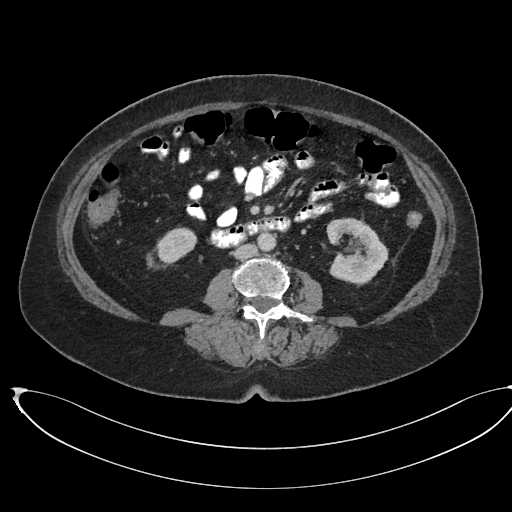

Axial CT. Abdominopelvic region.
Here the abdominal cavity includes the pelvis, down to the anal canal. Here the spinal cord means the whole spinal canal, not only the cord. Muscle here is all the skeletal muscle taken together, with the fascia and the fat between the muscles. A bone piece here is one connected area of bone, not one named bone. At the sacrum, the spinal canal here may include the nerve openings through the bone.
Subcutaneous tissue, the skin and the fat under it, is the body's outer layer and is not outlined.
{"bones":[{"outer":[[261,257],[277,259],[290,267],[291,282],[283,295],[283,301],[293,310],[314,319],[312,322],[304,322],[293,317],[270,319],[266,323],[262,340],[259,337],[256,321],[245,319],[242,316],[240,307],[245,299],[232,281],[232,273],[240,264],[252,258]],"hole":[[257,296],[260,296],[261,297],[268,297],[269,298],[271,298],[275,300],[277,302],[274,306],[272,306],[270,307],[266,311],[264,312],[260,312],[258,310],[257,310],[251,304],[250,302],[252,298],[254,297],[256,297]]}],"torso":[[[253,73],[309,77],[372,97],[423,130],[456,168],[475,212],[483,299],[467,336],[434,363],[381,385],[314,400],[268,401],[256,393],[239,403],[174,398],[126,386],[67,359],[25,321],[17,287],[32,220],[50,177],[79,139],[161,89],[207,76]]],"abdominal_cavity":[[[253,105],[282,106],[351,126],[401,153],[431,211],[435,233],[422,277],[385,312],[363,322],[318,314],[321,284],[302,269],[261,256],[211,278],[201,299],[210,312],[177,307],[153,320],[119,303],[84,269],[74,249],[74,226],[110,157],[147,130]]],"muscle":[{"outer":[[261,99],[274,99],[282,102],[287,102],[288,103],[299,104],[306,106],[312,106],[332,111],[336,113],[345,114],[350,117],[362,120],[376,126],[410,148],[434,171],[436,176],[453,204],[453,209],[454,210],[454,215],[456,222],[456,237],[447,270],[437,290],[427,300],[419,306],[400,316],[393,321],[390,321],[378,326],[346,327],[344,328],[341,337],[336,343],[331,347],[329,351],[325,355],[318,359],[314,359],[313,360],[307,359],[303,360],[295,365],[283,366],[282,367],[274,365],[272,363],[265,360],[260,360],[248,367],[236,368],[226,364],[222,361],[212,361],[211,360],[206,360],[202,358],[194,349],[184,342],[181,335],[181,332],[176,327],[154,325],[145,322],[129,320],[107,312],[85,300],[81,296],[70,278],[63,271],[60,265],[60,262],[58,258],[57,247],[56,246],[56,215],[64,191],[80,167],[91,156],[95,154],[107,144],[121,136],[128,133],[144,123],[152,121],[157,118],[162,117],[175,111],[179,111],[198,104],[207,103],[208,102],[216,102],[217,101],[260,100]],"hole":[[253,105],[282,106],[351,126],[391,143],[401,153],[431,211],[435,233],[422,277],[385,312],[363,322],[346,314],[318,314],[323,306],[321,284],[306,271],[291,268],[291,282],[283,301],[314,320],[270,319],[260,340],[256,321],[242,316],[240,307],[245,299],[232,281],[233,267],[222,268],[209,281],[201,300],[210,312],[177,307],[156,320],[119,303],[84,269],[74,249],[74,226],[110,157],[147,130],[210,111]]}],"spinal_cord":[[[257,296],[260,296],[261,297],[268,297],[269,298],[271,298],[275,300],[277,302],[274,306],[272,306],[270,307],[266,311],[264,312],[260,312],[258,310],[257,310],[251,304],[250,302],[252,298],[254,297],[256,297]]]}